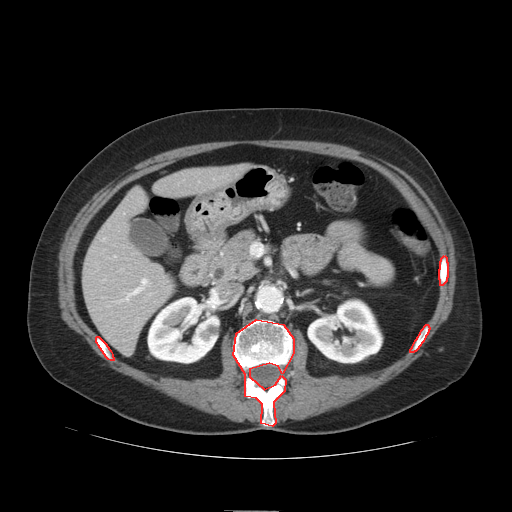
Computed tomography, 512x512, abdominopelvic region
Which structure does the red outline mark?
red: bones.
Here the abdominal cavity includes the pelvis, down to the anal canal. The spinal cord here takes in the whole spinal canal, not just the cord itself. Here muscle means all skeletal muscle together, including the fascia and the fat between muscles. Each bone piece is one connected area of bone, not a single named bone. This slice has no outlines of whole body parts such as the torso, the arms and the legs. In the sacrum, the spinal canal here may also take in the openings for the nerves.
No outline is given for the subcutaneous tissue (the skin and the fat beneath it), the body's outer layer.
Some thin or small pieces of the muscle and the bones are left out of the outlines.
Outlines:
bones 1: (256, 319) (283, 324) (293, 338) (293, 353) (282, 373) (278, 366) (269, 363) (249, 369) (249, 376) (264, 389) (275, 384) (281, 375) (285, 379) (284, 391) (273, 402) (275, 423) (272, 426) (261, 423) (262, 404) (256, 398) (245, 396) (245, 374) (233, 355) (236, 333)
bones 2: (444, 255) (446, 257) (446, 261) (447, 262) (447, 277) (446, 278) (446, 281) (442, 285) (440, 285) (440, 280) (439, 279) (439, 269) (440, 268) (440, 261) (441, 260) (441, 258)
bones 3: (426, 324) (427, 324) (429, 327) (429, 329) (428, 330) (428, 332) (427, 333) (427, 334) (425, 336) (423, 341) (418, 347) (418, 348) (415, 351) (414, 351) (413, 352) (410, 352) (410, 349) (412, 347) (415, 340) (417, 338) (417, 337) (420, 333) (421, 330)
bones 4: (97, 336) (98, 336) (106, 344) (106, 345) (108, 347) (108, 348) (110, 350) (112, 354) (112, 356) (113, 357) (113, 360) (110, 360) (108, 359) (105, 356) (105, 355) (103, 353) (103, 352) (101, 350) (101, 349) (99, 347) (99, 346) (96, 342) (96, 337)
muscle: (268, 139) (337, 143) (381, 158) (404, 170) (421, 186) (433, 202) (451, 233) (456, 257) (456, 282) (453, 305) (447, 319) (431, 337) (423, 354) (403, 371) (360, 399) (342, 407) (302, 420) (275, 424) (274, 402) (286, 389) (287, 382) (282, 374) (294, 353) (294, 338) (290, 328) (298, 329) (302, 333) (307, 344) (305, 368) (311, 376) (316, 378) (331, 375) (354, 376) (377, 371) (391, 365) (408, 350) (410, 353) (415, 352) (422, 344) (430, 329) (428, 322) (436, 309) (440, 286) (447, 281) (448, 262) (444, 254) (440, 258) (438, 247) (419, 210) (384, 175) (361, 161) (250, 143) (229, 145) (186, 156) (124, 185) (89, 221) (74, 254) (73, 277) (79, 315) (97, 335) (95, 342) (108, 360) (114, 360) (113, 354) (123, 362) (145, 372) (185, 380) (214, 379) (220, 375) (222, 372) (221, 342) (224, 334) (231, 330) (234, 334) (231, 344) (232, 355) (244, 374) (243, 394) (248, 399) (256, 399) (263, 409) (260, 425) (235, 422) (222, 415) (201, 411) (109, 367) (88, 343) (60, 317) (57, 266) (60, 245) (78, 211) (99, 189) (135, 164) (158, 153) (187, 145) (214, 141)
abdominal cavity: (241, 144) (361, 162) (415, 207) (439, 253) (439, 296) (401, 357) (366, 373) (316, 377) (306, 368) (308, 344) (298, 328) (256, 318) (235, 334) (231, 329) (223, 334) (217, 377) (185, 379) (123, 361) (84, 321) (76, 301) (74, 259) (94, 216) (142, 176) (186, 157)
spinal cord: (261, 364) (269, 364) (270, 365) (273, 365) (274, 366) (276, 366) (279, 368) (279, 371) (281, 374) (280, 376) (277, 379) (275, 383) (272, 384) (267, 388) (264, 388) (260, 385) (259, 385) (250, 376) (250, 369) (251, 369) (255, 366) (258, 366)